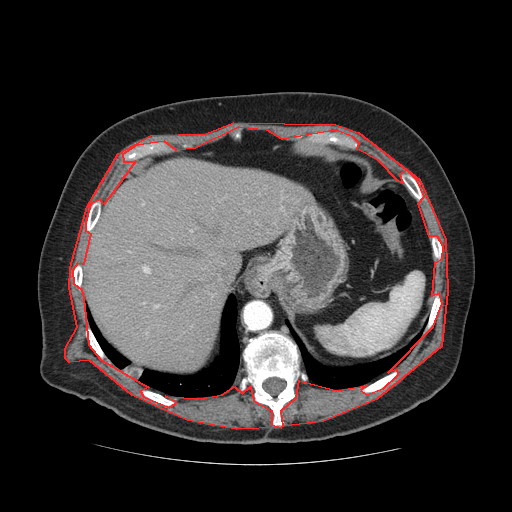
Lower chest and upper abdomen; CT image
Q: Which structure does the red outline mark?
A: red: muscle.
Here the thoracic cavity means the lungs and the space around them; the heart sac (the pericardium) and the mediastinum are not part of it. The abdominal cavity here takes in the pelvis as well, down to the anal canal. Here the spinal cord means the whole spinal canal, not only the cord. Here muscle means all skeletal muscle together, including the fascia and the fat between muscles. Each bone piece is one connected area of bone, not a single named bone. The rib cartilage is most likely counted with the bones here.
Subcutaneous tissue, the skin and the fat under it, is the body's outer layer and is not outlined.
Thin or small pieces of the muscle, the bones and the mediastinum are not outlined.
The muscle is outlined by (233, 122) (335, 124) (358, 132) (419, 179) (445, 239) (447, 291) (441, 346) (376, 399) (323, 421) (283, 426) (281, 410) (296, 397) (299, 380) (336, 390) (366, 385) (360, 390) (366, 394) (383, 388) (398, 374) (397, 369) (388, 372) (433, 326) (442, 303) (439, 293) (432, 296) (435, 262) (442, 258) (443, 246) (437, 236) (429, 236) (418, 203) (424, 196) (417, 180) (407, 170) (399, 174) (402, 183) (398, 181) (378, 160) (357, 149) (359, 143) (352, 136) (335, 130) (282, 139) (267, 130) (238, 127) (195, 148) (176, 150) (164, 141) (136, 145) (122, 154) (123, 161) (135, 161) (109, 197) (103, 204) (100, 199) (90, 204) (85, 222) (85, 230) (90, 233) (83, 264) (77, 263) (72, 270) (73, 283) (81, 289) (83, 298) (88, 344) (100, 359) (148, 387) (140, 391) (143, 396) (169, 407) (176, 402) (165, 396) (201, 398) (222, 394) (234, 386) (242, 393) (250, 386) (253, 400) (271, 410) (271, 424) (281, 427) (236, 429) (187, 420) (132, 395) (89, 360) (69, 362) (65, 358) (65, 348) (77, 327) (69, 287) (70, 267) (87, 206) (118, 153) (150, 135) (206, 133). The bones appear in 12 outlined pieces: piece 1: (269, 331) (276, 331) (295, 342) (301, 357) (300, 368) (308, 377) (304, 383) (300, 379) (297, 381) (295, 397) (281, 408) (282, 426) (272, 424) (272, 410) (266, 404) (254, 400) (254, 390) (250, 385) (242, 392) (238, 388) (246, 374) (241, 355) (243, 349) (250, 338); inner edge: (271, 377) (277, 377) (278, 378) (279, 378) (280, 379) (282, 379) (283, 380) (284, 380) (285, 381) (285, 386) (284, 387) (284, 388) (277, 395) (276, 395) (275, 396) (273, 396) (272, 395) (271, 395) (268, 392) (267, 392) (263, 388) (263, 383) (268, 378) (270, 378); piece 2: (321, 131) (335, 131) (341, 134) (348, 135) (352, 137) (358, 143) (358, 147) (354, 150) (350, 150) (349, 149) (346, 149) (333, 145) (304, 145) (301, 143) (298, 143) (296, 141) (291, 139) (294, 138) (297, 135) (299, 134) (307, 135) (314, 132) (320, 132); piece 3: (149, 142) (164, 142) (169, 144) (174, 149) (175, 149) (175, 150) (169, 152) (158, 153) (157, 154) (150, 154) (149, 155) (146, 155) (139, 159) (132, 160) (131, 161) (125, 161) (123, 160) (122, 156) (124, 153) (129, 152) (138, 145) (144, 143) (148, 143); piece 4: (407, 171) (409, 171) (412, 174) (412, 175) (416, 180) (422, 192) (422, 195) (423, 196) (423, 198) (420, 201) (417, 201) (416, 200) (416, 199) (410, 193) (410, 192) (408, 190) (408, 189) (403, 183) (402, 180) (400, 178) (400, 174) (401, 173) (403, 173); piece 5: (394, 370) (397, 370) (397, 374) (396, 376) (386, 385) (372, 392) (368, 392) (367, 393) (365, 392) (362, 392) (361, 390) (363, 387) (377, 380) (379, 378) (382, 377) (384, 375); piece 6: (97, 200) (100, 200) (101, 201) (101, 203) (102, 204) (101, 206) (101, 211) (100, 212) (99, 217) (95, 225) (93, 227) (91, 231) (90, 232) (88, 232) (86, 230) (86, 222) (87, 221) (87, 216) (88, 215) (88, 212) (91, 206) (91, 204) (93, 202); piece 7: (437, 294) (439, 294) (441, 296) (441, 303) (440, 304) (440, 307) (439, 308) (439, 310) (438, 311) (437, 316) (432, 326) (425, 333) (423, 333) (424, 328) (427, 323) (427, 320) (428, 319) (428, 317) (430, 313) (430, 309) (432, 305) (432, 302) (433, 301) (433, 299); piece 8: (88, 326) (89, 326) (92, 333) (94, 335) (97, 342) (99, 344) (104, 354) (108, 358) (110, 362) (109, 362) (105, 358) (103, 359) (100, 358) (98, 356) (98, 355) (93, 350) (93, 349) (89, 344) (86, 338) (86, 336) (85, 335) (85, 328); piece 9: (143, 389) (149, 389) (150, 390) (152, 390) (155, 392) (160, 393) (165, 397) (166, 397) (171, 400) (173, 400) (175, 402) (175, 403) (173, 405) (166, 406) (165, 405) (164, 405) (163, 404) (161, 404) (156, 401) (154, 401) (150, 398) (149, 398) (142, 394) (141, 391); piece 10: (433, 236) (435, 236) (438, 238) (438, 239) (439, 240) (439, 241) (440, 242) (440, 243) (442, 246) (442, 256) (440, 259) (437, 259) (435, 261) (435, 260) (434, 259) (434, 257) (433, 256) (433, 252) (432, 251) (432, 246) (431, 245) (431, 237) (432, 237); piece 11: (77, 264) (79, 264) (80, 265) (81, 265) (81, 266) (82, 267) (82, 283) (81, 284) (81, 288) (80, 289) (79, 289) (75, 285) (75, 284) (74, 283) (74, 281) (73, 280) (73, 270) (74, 269) (74, 267); piece 12: (238, 128) (242, 128) (242, 130) (241, 131) (241, 134) (242, 135) (241, 136) (241, 139) (240, 140) (235, 140) (230, 135) (230, 133) (232, 131) (233, 131) (234, 130) (235, 130) (236, 129) (237, 129). The abdominal cavity is outlined by (243, 130) (353, 151) (376, 180) (394, 179) (415, 199) (435, 272) (427, 319) (406, 345) (365, 363) (320, 363) (286, 319) (266, 266) (232, 285) (221, 314) (220, 353) (204, 371) (140, 369) (102, 335) (84, 303) (82, 266) (117, 184) (146, 156) (228, 135) (240, 141). The spinal cord is outlined by (271, 377) (277, 377) (278, 378) (279, 378) (280, 379) (282, 379) (283, 380) (284, 380) (285, 381) (285, 386) (284, 387) (284, 388) (277, 395) (276, 395) (275, 396) (273, 396) (272, 395) (271, 395) (268, 392) (267, 392) (263, 388) (263, 383) (268, 378) (270, 378). The thoracic cavity appears in 2 outlined pieces: piece 1: (231, 294) (236, 299) (235, 329) (241, 350) (243, 375) (237, 385) (226, 391) (201, 397) (164, 395) (117, 367) (102, 349) (89, 325) (85, 311) (86, 304) (101, 335) (114, 349) (129, 360) (132, 366) (140, 370) (149, 369) (190, 376) (208, 370) (220, 356) (222, 314); piece 2: (286, 320) (289, 322) (303, 343) (307, 352) (320, 364) (332, 368) (350, 367) (387, 357) (406, 346) (422, 329) (426, 320) (426, 323) (417, 343) (410, 353) (402, 361) (392, 367) (387, 373) (366, 384) (336, 389) (321, 386) (309, 379) (301, 364) (301, 352) (286, 324). The torso is outlined by (274, 91) (337, 93) (371, 102) (408, 124) (435, 154) (467, 218) (475, 256) (475, 283) (462, 351) (450, 381) (414, 409) (363, 431) (322, 441) (252, 445) (197, 442) (164, 434) (49, 385) (39, 371) (38, 263) (60, 194) (83, 150) (113, 123) (154, 106). The mediastinum appears in 2 outlined pieces: piece 1: (258, 267) (266, 267) (271, 272) (278, 290) (278, 304) (281, 308) (281, 311) (283, 312) (283, 315) (285, 317) (285, 324) (292, 338) (276, 330) (269, 330) (256, 336) (250, 337) (242, 350) (236, 329) (238, 310) (237, 299) (233, 293) (233, 285) (247, 272) (253, 268); piece 2: (355, 150) (363, 151) (367, 154) (370, 155) (374, 159) (378, 161) (387, 170) (392, 173) (395, 176) (395, 177) (393, 179) (391, 179) (390, 180) (388, 180) (387, 179) (376, 179) (372, 175) (372, 165) (368, 160) (365, 159) (363, 157) (355, 155) (353, 153) (353, 152).